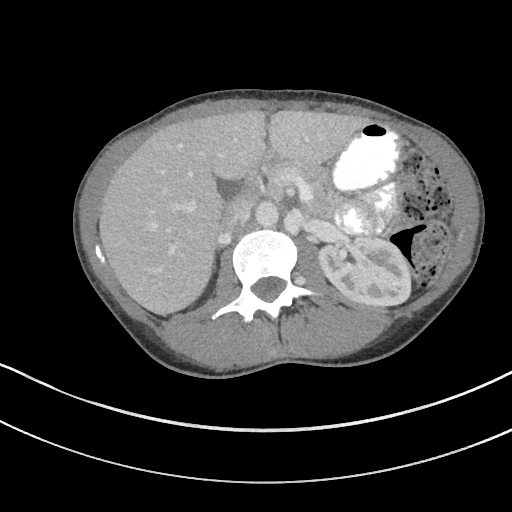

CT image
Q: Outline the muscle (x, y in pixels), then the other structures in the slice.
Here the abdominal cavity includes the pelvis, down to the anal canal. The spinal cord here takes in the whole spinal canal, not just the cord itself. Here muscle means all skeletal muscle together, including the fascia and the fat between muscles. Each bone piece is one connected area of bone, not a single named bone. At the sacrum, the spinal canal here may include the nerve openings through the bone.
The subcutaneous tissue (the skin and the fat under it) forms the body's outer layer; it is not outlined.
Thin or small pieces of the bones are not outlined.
A: The muscle is outlined by 225 369; 238 369; 243 367; 248 367; 281 357; 305 357; 306 358; 320 358; 321 359; 322 358; 331 358; 332 357; 345 356; 366 346; 369 346; 376 341; 386 336; 405 319; 409 318; 411 316; 418 313; 426 306; 441 296; 455 282; 458 276; 462 273; 470 262; 479 222; 479 202; 478 201; 476 187; 467 166; 456 151; 440 136; 429 129; 400 120; 393 116; 388 115; 380 111; 363 107; 360 105; 356 105; 352 103; 342 103; 341 102; 327 101; 326 100; 319 101; 314 99; 289 99; 288 100; 267 99; 265 100; 264 99; 257 99; 256 98; 242 98; 241 99; 227 99; 225 98; 212 101; 203 101; 200 103; 192 104; 170 112; 153 123; 123 136; 110 145; 103 153; 102 156; 98 159; 94 167; 90 172; 82 190; 82 193; 79 200; 78 217; 79 218; 80 238; 83 250; 85 252; 87 261; 92 272; 100 284; 118 301; 126 312; 133 319; 143 324; 157 337; 163 341; 169 349; 180 355; 183 358; 207 366; 212 366; inner edge: 244 322; 321 295; 291 282; 299 235; 326 281; 356 303; 425 294; 452 235; 443 172; 388 123; 333 111; 216 112; 151 134; 108 181; 95 254; 126 295; 165 318; 211 296; 230 248; 241 291; 211 318; 237 311. The bones are outlined by 244 322; 251 321; 257 310; 263 310; 276 320; 281 308; 291 305; 294 298; 321 295; 291 282; 297 247; 293 239; 282 231; 253 230; 242 236; 232 250; 232 265; 242 285; 241 291; 236 298; 212 314; 211 318; 237 311; inner edge: 266 301; 272 301; 284 288; 285 283; 282 279; 280 278; 278 278; 277 277; 275 277; 274 276; 270 276; 269 277; 266 277; 265 278; 261 278; 259 279; 252 286; 252 290; 253 292; 257 296; 258 296; 260 298. The abdominal cavity is outlined by 160 318; 193 309; 211 296; 221 253; 256 228; 309 241; 326 281; 348 299; 405 305; 426 293; 445 262; 453 191; 421 147; 372 118; 333 111; 255 110; 216 112; 169 124; 146 138; 114 171; 96 223; 102 252; 121 289. The torso is outlined by 207 379; 237 377; 285 363; 362 365; 385 358; 415 339; 465 284; 484 243; 485 203; 481 184; 455 142; 432 125; 380 102; 310 88; 203 92; 178 100; 110 138; 90 162; 74 196; 72 235; 81 268; 102 302; 152 359; 176 372. The spinal cord is outlined by 266 301; 272 301; 284 288; 285 283; 282 279; 280 278; 278 278; 277 277; 275 277; 274 276; 270 276; 269 277; 266 277; 265 278; 261 278; 259 279; 252 286; 252 290; 253 292; 257 296; 258 296; 260 298.